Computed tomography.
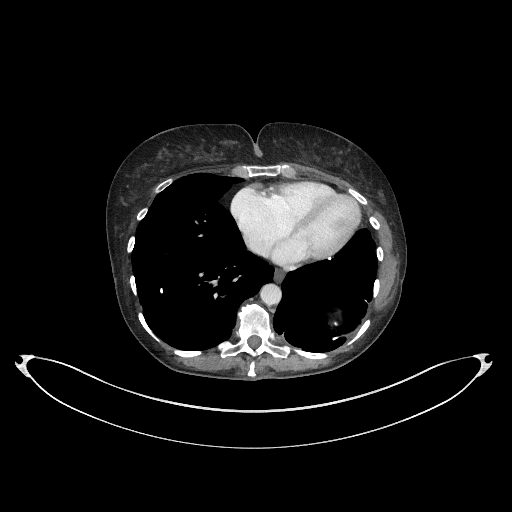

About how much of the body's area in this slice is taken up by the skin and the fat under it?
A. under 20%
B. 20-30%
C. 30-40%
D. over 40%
Answer: B. 20-30%
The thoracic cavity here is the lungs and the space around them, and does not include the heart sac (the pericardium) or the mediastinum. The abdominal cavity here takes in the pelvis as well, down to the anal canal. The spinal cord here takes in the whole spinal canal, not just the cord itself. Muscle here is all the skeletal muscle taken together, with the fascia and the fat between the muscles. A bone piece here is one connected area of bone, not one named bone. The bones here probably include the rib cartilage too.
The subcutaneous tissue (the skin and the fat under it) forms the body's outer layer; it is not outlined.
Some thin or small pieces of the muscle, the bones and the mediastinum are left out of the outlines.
Outlines:
spinal cord: (253, 348) (255, 348) (256, 347) (257, 347) (260, 344) (260, 343) (261, 342) (261, 340) (260, 339) (260, 338) (258, 336) (256, 336) (255, 335) (253, 335) (252, 336) (251, 336) (250, 337) (249, 337) (248, 338) (248, 344) (251, 347) (252, 347)
torso: (236, 381) (289, 379) (341, 367) (380, 336) (398, 306) (407, 266) (407, 243) (395, 194) (368, 153) (329, 129) (273, 121) (262, 126) (254, 140) (236, 123) (179, 125) (159, 131) (134, 147) (110, 183) (105, 207) (106, 241) (116, 299) (127, 327) (144, 349) (176, 372)
abdominal cavity: (331, 329) (335, 329) (337, 327) (338, 327) (342, 323) (342, 315) (343, 314) (343, 310) (340, 307) (337, 307) (333, 311) (333, 312) (329, 316) (329, 317) (327, 319) (327, 325)
bones 1: (313, 359) (325, 358) (328, 353) (307, 352) (288, 345) (276, 344) (270, 316) (264, 308) (256, 303) (240, 306) (232, 337) (216, 347) (221, 357) (235, 355) (239, 352) (246, 352) (254, 357) (263, 352) (268, 352) (275, 357) (284, 358) (293, 350) (302, 356) with a hole at (253, 348) (255, 348) (256, 347) (257, 347) (260, 344) (260, 343) (261, 342) (261, 340) (260, 339) (260, 338) (258, 336) (256, 336) (255, 335) (253, 335) (252, 336) (251, 336) (250, 337) (249, 337) (248, 338) (248, 344) (251, 347) (252, 347)
bones 2: (243, 178) (253, 177) (254, 176) (276, 176) (277, 175) (286, 175) (290, 177) (295, 177) (296, 176) (297, 172) (293, 167) (290, 166) (288, 164) (275, 164) (274, 165) (247, 165) (246, 164) (244, 164) (240, 166) (236, 166) (231, 170) (231, 172) (234, 176) (239, 176)
bones 3: (342, 346) (344, 346) (345, 345) (349, 345) (350, 344) (351, 344) (353, 342) (354, 342) (367, 329) (367, 328) (369, 326) (369, 325) (370, 324) (370, 319) (369, 318) (367, 318) (366, 319) (365, 319) (362, 322) (362, 323) (358, 328) (358, 329) (357, 330) (356, 333)
bones 4: (160, 343) (162, 343) (162, 341) (150, 329) (150, 328) (148, 326) (148, 325) (146, 323) (144, 319) (144, 317) (142, 314) (142, 312) (141, 311) (139, 311) (137, 315) (138, 316) (138, 318) (141, 324) (143, 326) (145, 330) (156, 341)
bones 5: (183, 357) (190, 357) (191, 356) (195, 356) (196, 355) (199, 355) (202, 353) (202, 351) (200, 350) (192, 350) (191, 351) (189, 351) (188, 350) (180, 350) (179, 349) (176, 349) (174, 348) (173, 349) (173, 352) (175, 354) (177, 355) (179, 355) (180, 356) (182, 356)
bones 6: (362, 205) (366, 205) (367, 204) (367, 200) (366, 199) (366, 198) (363, 195) (362, 195) (359, 192) (358, 192) (353, 188) (348, 188) (347, 189) (347, 192) (351, 195) (352, 195) (354, 197) (355, 197) (357, 199) (358, 202) (359, 202) (360, 203) (360, 204) (361, 204)
bones 7: (156, 194) (157, 194) (159, 192) (160, 192) (162, 190) (163, 190) (167, 186) (168, 186) (174, 180) (171, 177) (170, 177) (169, 178) (167, 178) (165, 180) (164, 180) (163, 181) (162, 181) (160, 183) (159, 183) (156, 186) (156, 187) (154, 190) (154, 191)
bones 8: (375, 230) (378, 230) (379, 229) (379, 227) (380, 226) (380, 225) (379, 224) (379, 222) (378, 221) (378, 220) (373, 215) (370, 215) (368, 217) (368, 220) (369, 221) (369, 222) (370, 223) (370, 225) (372, 227) (372, 228) (373, 229) (374, 229)
bones 9: (135, 296) (137, 296) (137, 292) (136, 291) (136, 286) (135, 285) (135, 279) (134, 278) (134, 276) (133, 275) (133, 274) (131, 274) (130, 275) (130, 277) (129, 278) (129, 281) (130, 282) (130, 286) (131, 287) (131, 289) (132, 290) (132, 292) (133, 293) (133, 294)
bones 10: (138, 221) (140, 221) (144, 217) (144, 216) (146, 214) (146, 213) (147, 212) (147, 210) (148, 209) (148, 208) (147, 207) (146, 207) (145, 206) (144, 207) (143, 207) (142, 208) (141, 208) (138, 211) (138, 212) (137, 213) (137, 216) (136, 217) (136, 218)
thoracic cavity 1: (189, 350) (215, 347) (229, 339) (235, 328) (236, 312) (243, 300) (256, 293) (260, 286) (272, 277) (273, 267) (246, 249) (229, 211) (218, 201) (234, 182) (242, 180) (239, 177) (196, 173) (174, 181) (156, 196) (136, 230) (131, 259) (145, 319) (163, 341) (173, 347)
thoracic cavity 2: (320, 352) (328, 352) (338, 348) (355, 333) (366, 313) (367, 304) (372, 299) (372, 286) (377, 270) (376, 245) (366, 228) (357, 230) (330, 259) (320, 260) (291, 270) (287, 273) (282, 283) (282, 298) (272, 318) (272, 327) (278, 341) (281, 344) (288, 344) (307, 351) with a hole at (331, 329) (335, 329) (337, 327) (338, 327) (342, 323) (342, 315) (343, 314) (343, 310) (340, 307) (337, 307) (333, 311) (333, 312) (329, 316) (329, 317) (327, 319) (327, 325)
muscle 1: (239, 375) (246, 375) (249, 362) (252, 359) (256, 362) (256, 375) (302, 371) (326, 366) (332, 363) (337, 357) (353, 350) (389, 307) (396, 291) (400, 262) (399, 254) (394, 246) (389, 223) (370, 200) (367, 198) (368, 204) (362, 207) (367, 217) (373, 214) (379, 220) (381, 225) (380, 229) (378, 231) (373, 230) (376, 244) (380, 245) (384, 250) (384, 259) (378, 262) (377, 271) (377, 277) (380, 279) (380, 289) (378, 295) (368, 304) (367, 313) (364, 318) (369, 317) (371, 324) (354, 343) (329, 352) (328, 357) (322, 360) (308, 359) (293, 351) (284, 359) (275, 358) (268, 353) (263, 353) (254, 358) (246, 353) (221, 358) (218, 350) (215, 348) (205, 350) (199, 356) (183, 358) (175, 355) (172, 352) (173, 348) (171, 346) (164, 342) (162, 344) (156, 342) (144, 330) (137, 318) (136, 314) (141, 310) (141, 306) (138, 298) (132, 294) (128, 281) (132, 269) (130, 254) (126, 252) (126, 243) (128, 237) (135, 233) (139, 222) (135, 218) (136, 214) (133, 217) (126, 234) (123, 267) (124, 286) (128, 304) (140, 329) (157, 347) (177, 363) (198, 370) (219, 370) (229, 374)
muscle 2: (346, 192) (346, 189) (348, 187) (353, 187) (358, 191) (358, 190) (353, 185) (339, 177) (326, 173) (315, 167) (305, 166) (292, 162) (279, 162) (278, 163) (288, 163) (293, 166) (298, 172) (296, 177) (305, 177) (324, 181) (330, 183) (332, 185) (335, 185) (336, 187)
muscle 3: (158, 183) (167, 177) (169, 177) (170, 176) (171, 176) (175, 180) (184, 175) (187, 175) (196, 172) (211, 172) (212, 173) (222, 174) (223, 175) (232, 175) (230, 172) (230, 170) (234, 166) (236, 165) (240, 165) (243, 164) (243, 163) (195, 167) (177, 173) (174, 175) (172, 175) (163, 178) (161, 179)
muscle 4: (148, 207) (149, 207) (150, 204) (152, 202) (153, 199) (155, 197) (155, 196) (156, 195) (154, 193) (154, 192) (153, 191) (155, 186) (153, 188) (153, 189) (151, 192) (151, 194) (150, 195) (150, 196) (148, 198) (146, 203) (143, 206) (144, 206) (145, 205)
mediastinum 1: (271, 318) (281, 298) (281, 283) (286, 273) (290, 270) (286, 271) (283, 270) (273, 264) (271, 264) (274, 267) (274, 273) (272, 280) (270, 282) (268, 282) (261, 286) (259, 291) (256, 294) (244, 300) (242, 303) (242, 304) (247, 302) (256, 302) (258, 303) (269, 312)
mediastinum 2: (226, 207) (225, 205) (225, 199) (227, 196) (229, 195) (229, 194) (231, 193) (232, 191) (233, 191) (234, 189) (239, 187) (245, 183) (247, 183) (250, 180) (261, 177) (254, 177) (253, 178) (243, 179) (243, 180) (239, 183) (234, 183) (219, 200) (219, 201)
mediastinum 3: (373, 238) (374, 238) (373, 236) (373, 231) (371, 227) (369, 225) (369, 223) (367, 221) (367, 218) (364, 213) (364, 219) (363, 220) (363, 223) (360, 226) (359, 228) (361, 227) (366, 227) (368, 228) (371, 232) (371, 234)
pericardium: (286, 270) (298, 267) (312, 261) (316, 261) (324, 258) (330, 258) (342, 247) (362, 223) (363, 212) (355, 198) (324, 182) (305, 178) (290, 178) (286, 176) (262, 177) (250, 181) (247, 184) (234, 190) (228, 196) (226, 199) (226, 205) (242, 234) (242, 237) (247, 249)